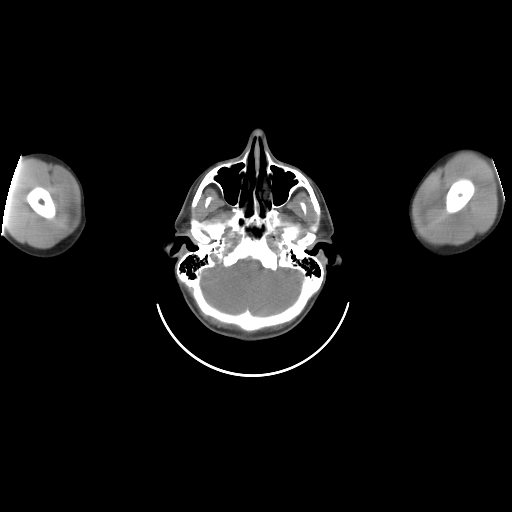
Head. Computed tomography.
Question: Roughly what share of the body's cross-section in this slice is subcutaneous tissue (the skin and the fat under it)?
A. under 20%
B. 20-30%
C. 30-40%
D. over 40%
Answer: A. under 20%
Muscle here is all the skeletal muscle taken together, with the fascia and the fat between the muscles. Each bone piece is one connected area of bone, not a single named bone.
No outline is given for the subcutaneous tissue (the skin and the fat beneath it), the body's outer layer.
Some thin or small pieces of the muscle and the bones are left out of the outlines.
{"left_arm":[[[464,146],[471,146],[478,148],[486,152],[490,156],[499,176],[501,188],[505,200],[504,210],[497,227],[486,239],[475,247],[461,254],[452,257],[440,257],[429,253],[416,241],[411,231],[408,220],[408,203],[415,186],[428,168],[444,153],[454,148]]],"brain":[[[247,258],[258,261],[263,268],[272,271],[278,268],[297,271],[301,276],[301,283],[299,292],[293,302],[278,312],[266,315],[254,314],[248,308],[232,313],[221,310],[211,304],[206,299],[201,286],[204,270],[217,264],[221,264],[226,268],[239,260]]],"head":[{"outer":[[254,127],[323,194],[332,244],[308,252],[321,248],[331,263],[339,253],[342,263],[326,268],[323,289],[300,323],[248,342],[195,317],[174,277],[177,259],[163,252],[162,243],[174,241],[170,249],[172,254],[175,253],[183,243],[196,249],[175,236],[188,189],[207,166],[237,156]],"holes":[[[240,163],[241,163],[243,166],[237,173],[239,176],[239,181],[241,185],[241,188],[238,190],[236,202],[233,204],[231,204],[225,199],[224,197],[224,189],[222,185],[216,179],[216,177],[218,176],[220,170],[223,168],[230,168],[232,166]],[[272,166],[279,168],[285,173],[290,173],[292,175],[291,179],[293,181],[295,181],[295,182],[289,187],[285,200],[283,202],[279,204],[275,204],[274,203],[273,192],[271,188],[272,184],[273,183],[273,179],[272,178],[274,175],[274,172],[271,168]],[[260,142],[261,142],[262,144],[263,151],[264,152],[264,160],[265,161],[265,164],[264,165],[264,171],[265,172],[258,191],[257,190],[257,186],[258,185],[258,182],[260,177],[260,173],[261,172],[261,168],[262,167],[261,165],[261,160],[260,159]],[[253,142],[254,142],[254,146],[253,147],[253,163],[254,164],[254,174],[253,175],[253,177],[252,178],[252,179],[248,174],[248,170],[249,169],[249,161],[248,160],[248,159],[249,158],[249,154],[250,153],[250,151],[251,150],[251,146],[252,145]],[[250,197],[251,197],[251,199],[252,200],[252,203],[251,204],[251,214],[250,215],[249,215],[248,216],[247,216],[246,215],[246,209],[247,208],[247,205],[248,204],[248,202],[249,201],[249,198]],[[261,204],[262,204],[262,205],[263,206],[263,208],[264,209],[264,215],[263,216],[261,216],[260,215],[260,206],[261,205]],[[243,187],[243,188],[244,189],[244,192],[245,193],[245,195],[244,196],[244,200],[243,201],[243,203],[242,204],[241,204],[241,196],[242,195],[242,194],[243,193]]]}],"right_arm":[[[30,152],[47,152],[61,158],[74,170],[82,184],[84,192],[85,212],[86,213],[85,227],[79,239],[71,248],[64,253],[51,258],[40,258],[26,254],[14,247],[2,236],[2,234],[4,232],[3,227],[4,210],[11,180],[19,158],[24,153]]],"bones":[{"outer":[[256,142],[261,166],[258,192],[266,172],[264,148],[274,161],[299,170],[308,179],[320,206],[316,238],[308,252],[317,254],[324,273],[318,290],[292,320],[246,331],[204,314],[192,289],[178,279],[176,265],[186,250],[196,249],[190,219],[230,218],[229,204],[237,202],[242,188],[238,172],[244,165],[223,167],[215,177],[223,196],[209,183],[192,210],[203,177],[218,164],[241,158],[250,147],[247,174],[252,180]],"holes":[[[247,258],[258,261],[263,268],[272,271],[278,268],[297,271],[301,276],[301,283],[299,292],[293,302],[278,312],[266,315],[254,314],[248,308],[232,313],[221,310],[211,304],[206,299],[201,286],[204,270],[217,264],[221,264],[226,268],[239,260]],[[299,188],[303,188],[307,192],[309,197],[309,200],[316,215],[315,221],[309,226],[308,229],[302,235],[301,235],[301,233],[303,230],[298,223],[295,223],[288,220],[283,220],[279,216],[280,214],[279,209],[281,209],[286,205],[291,199],[294,192]],[[272,166],[279,168],[285,173],[290,173],[292,175],[291,179],[293,181],[295,181],[295,182],[289,187],[285,200],[283,202],[279,204],[275,204],[274,203],[273,192],[271,188],[272,184],[273,183],[273,179],[272,178],[274,175],[274,172],[271,168]],[[250,197],[251,197],[251,199],[252,200],[252,203],[251,204],[251,214],[250,215],[249,215],[248,216],[247,216],[246,215],[246,209],[247,208],[247,205],[248,204],[248,202],[249,201],[249,198]],[[261,204],[262,204],[262,205],[263,206],[263,208],[264,209],[264,215],[263,216],[261,216],[260,215],[260,206],[261,205]],[[243,187],[243,188],[244,189],[244,192],[245,193],[245,195],[244,196],[244,200],[243,201],[243,203],[242,204],[241,204],[241,196],[242,195],[242,194],[243,193]]]},[[460,178],[465,178],[466,179],[469,179],[473,183],[475,187],[475,190],[474,191],[474,193],[471,197],[471,198],[468,201],[468,202],[460,210],[456,212],[454,212],[453,213],[448,213],[445,209],[445,197],[446,196],[446,194],[452,183]],[[36,186],[41,186],[44,188],[46,188],[50,193],[50,195],[54,202],[54,204],[56,208],[56,213],[55,214],[55,216],[51,219],[47,219],[39,215],[37,213],[36,213],[32,209],[32,208],[26,200],[26,195],[27,193],[31,189],[32,189]]],"muscle":[{"outer":[[461,151],[471,151],[477,153],[489,160],[495,168],[498,187],[498,208],[496,217],[489,229],[475,240],[468,241],[463,244],[454,246],[446,245],[433,246],[422,240],[416,233],[411,214],[412,203],[419,187],[427,176],[439,165],[443,164],[451,156]],"hole":[[460,178],[465,178],[466,179],[469,179],[473,183],[475,187],[475,190],[474,191],[474,193],[471,197],[471,198],[468,201],[468,202],[460,210],[456,212],[454,212],[453,213],[448,213],[445,209],[445,197],[446,196],[446,194],[452,183]]},{"outer":[[22,157],[37,157],[48,162],[53,162],[62,165],[72,174],[76,180],[80,190],[81,220],[79,225],[71,234],[50,248],[39,249],[34,248],[27,244],[22,244],[8,234],[4,230],[3,227],[4,210],[7,195],[9,191],[9,187],[17,163]],"hole":[[36,186],[41,186],[44,188],[46,188],[50,193],[50,195],[54,202],[54,204],[56,208],[56,213],[55,214],[55,216],[51,219],[47,219],[39,215],[37,213],[36,213],[32,209],[32,208],[26,200],[26,195],[27,193],[31,189],[32,189]]},{"outer":[[209,184],[213,184],[218,189],[220,195],[230,206],[232,214],[230,217],[224,220],[216,219],[213,221],[207,219],[200,221],[192,216],[189,219],[189,233],[184,229],[184,223],[187,219],[186,214],[190,202],[190,209],[192,211],[198,204],[204,189]],"hole":[[208,196],[211,196],[212,197],[212,199],[211,200],[211,201],[209,203],[209,204],[208,205],[208,206],[207,207],[205,207],[205,200],[206,199],[206,198]]},{"outer":[[299,188],[303,188],[307,192],[309,197],[309,200],[316,215],[315,221],[309,226],[308,229],[302,235],[301,235],[301,233],[303,230],[298,223],[295,223],[288,220],[283,220],[279,216],[280,214],[279,209],[281,209],[286,205],[291,199],[294,192]],"hole":[[300,201],[303,201],[304,202],[304,203],[305,204],[305,207],[306,208],[306,212],[305,213],[304,213],[303,212],[303,211],[302,210],[302,209],[301,208],[301,207],[300,206],[300,205],[299,204],[299,202]]},[[200,311],[204,315],[206,316],[209,316],[210,317],[212,317],[216,320],[222,323],[235,325],[237,326],[240,329],[235,329],[234,328],[227,328],[226,327],[222,327],[221,326],[218,326],[210,322],[207,319],[206,319],[200,312]]]}